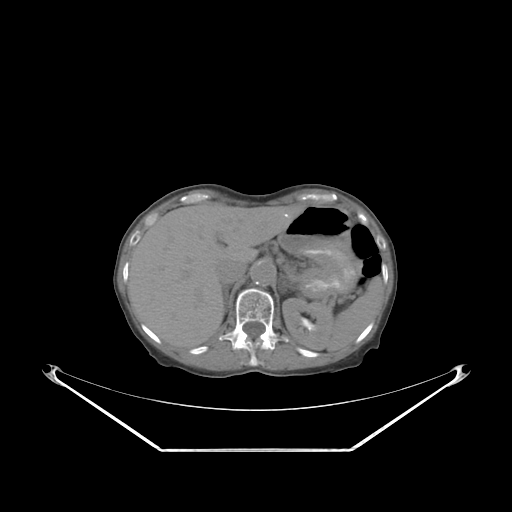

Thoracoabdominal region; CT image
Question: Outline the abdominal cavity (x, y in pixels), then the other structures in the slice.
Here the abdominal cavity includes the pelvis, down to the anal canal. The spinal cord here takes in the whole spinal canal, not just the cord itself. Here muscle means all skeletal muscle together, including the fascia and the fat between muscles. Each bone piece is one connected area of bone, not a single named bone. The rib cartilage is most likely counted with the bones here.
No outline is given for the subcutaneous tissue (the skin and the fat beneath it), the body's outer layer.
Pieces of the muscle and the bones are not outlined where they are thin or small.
Answer: Outlined structures:
abdominal cavity: 210,198 239,205 335,202 354,212 375,235 382,259 383,291 372,320 351,343 336,351 320,354 297,345 275,309 274,265 259,259 239,288 234,311 219,335 190,348 162,341 140,321 129,301 130,254 159,214
muscle 1: 203,188 217,190 237,199 257,202 263,202 275,199 291,192 305,188 319,188 333,191 329,193 317,193 316,192 301,193 298,194 296,199 291,202 276,204 266,203 239,204 233,202 222,201 211,197 210,194 205,192 193,192 182,195 179,198 179,201 181,203 172,206 160,213 154,211 148,214 143,221 143,225 145,228 141,233 139,229 135,229 131,233 128,244 131,247 133,247 129,254 128,260 126,260 123,264 121,274 123,282 126,283 125,292 128,301 138,317 140,322 140,327 142,330 152,340 158,344 165,342 166,344 175,348 188,349 188,352 193,355 199,355 206,352 209,348 206,344 217,337 219,341 227,340 230,342 231,348 233,350 244,349 249,353 248,364 250,366 244,366 240,369 222,371 206,370 183,364 165,355 149,343 139,332 133,322 129,311 118,289 117,272 122,249 127,237 141,218 161,203 178,194
muscle 2: 335,192 357,203 372,217 386,239 389,247 393,269 393,284 390,296 378,327 370,340 346,357 333,363 322,366 293,370 271,370 257,366 259,364 256,355 257,348 262,350 273,350 279,341 287,343 291,341 297,346 295,347 295,349 298,353 304,357 315,358 320,355 341,350 354,341 356,344 359,343 371,331 374,326 373,319 376,315 376,312 378,310 382,299 384,284 385,285 388,282 388,267 383,261 381,253 381,250 384,250 386,248 387,243 380,234 376,235 374,233 369,225 368,218 362,211 358,210 356,213 344,205 336,202 338,200 338,196
muscle 3: 232,312 233,313 234,312 234,320 235,321 235,323 234,324 234,327 231,330 230,330 229,331 226,331 224,333 219,334 222,330 222,328 225,325 226,322 228,320 228,319 229,318 230,315 232,313
muscle 4: 275,310 276,311 276,312 277,313 277,315 278,316 278,320 279,321 279,322 280,323 283,330 285,332 286,335 285,335 284,334 279,334 277,332 276,332 273,328 273,321 274,320 274,317 275,316
torso: 204,182 251,194 300,183 322,183 343,189 367,204 393,241 398,268 397,292 378,348 369,350 357,367 314,376 276,377 250,372 214,379 158,364 130,330 114,293 112,272 116,252 126,228 153,201 176,188
mediastinum: 259,260 267,260 271,262 273,265 273,267 274,268 274,276 273,277 273,291 274,292 274,298 273,298 272,295 268,291 255,286 246,287 242,289 239,292 240,288 247,281 250,275 250,271 251,269 257,261
spinal cord: 248,322 259,322 260,323 261,323 264,326 264,331 263,332 262,332 258,336 258,337 257,337 255,339 251,339 250,338 249,338 248,337 248,335 243,330 243,326 246,323 247,323
bones 1: 252,287 271,295 274,302 272,328 279,335 287,336 289,339 287,342 279,340 273,349 257,347 255,349 258,362 256,366 249,364 250,353 246,349 233,349 229,340 218,339 220,335 235,327 235,302 238,294; inner edge: 248,322 259,322 260,323 261,323 264,326 264,331 263,332 262,332 258,336 258,337 257,337 255,339 251,339 250,338 249,338 248,337 248,335 243,330 243,326 246,323 247,323
bones 2: 333,192 334,192 336,194 337,196 337,200 333,201 332,202 324,202 323,201 318,201 317,200 312,200 311,199 307,199 306,200 300,200 299,199 297,199 298,195 300,195 301,194 306,194 307,193 329,194
bones 3: 193,193 205,193 206,194 208,194 210,195 210,197 209,198 206,198 205,199 201,199 200,200 198,200 194,202 189,202 188,203 182,203 180,201 180,198 182,196 184,195 189,195
bones 4: 298,346 302,348 304,348 305,349 307,349 308,350 313,351 314,352 318,352 319,353 319,355 315,357 308,357 307,356 304,356 302,354 301,354 297,351 296,349 296,347
bones 5: 141,323 143,323 146,326 147,326 147,327 148,328 149,328 161,340 161,343 158,343 157,342 156,342 153,339 152,339 143,330 143,329 141,327
bones 6: 372,321 373,321 373,326 371,328 371,329 370,330 370,331 359,342 358,342 357,343 356,343 355,342 355,340 356,339 356,338 361,333 361,332 368,325 368,324 370,322 371,322
bones 7: 135,230 139,230 140,231 140,237 139,238 139,239 138,240 138,241 135,244 135,245 134,245 133,246 131,246 129,244 129,241 130,240 130,237 131,236 131,235 132,234 132,233
bones 8: 154,212 156,212 157,213 158,213 158,215 157,216 157,217 156,218 156,219 150,225 149,225 147,227 145,227 145,226 144,225 144,221 145,220 145,219 146,218 146,217 148,215 149,215 150,214 151,214
bones 9: 377,235 380,235 384,239 384,240 385,241 385,242 386,243 386,246 385,247 385,248 384,249 380,249 378,247 378,246 377,245 377,244 376,243 376,236
bones 10: 383,262 386,265 386,266 387,267 387,282 385,284 384,283 384,282 383,281 383,277 382,276 382,270 381,269 382,268 382,263
bones 11: 358,211 360,211 361,212 362,212 364,214 364,215 367,218 367,220 368,221 368,225 366,225 365,224 364,224 363,223 362,223 360,221 360,220 358,218 358,217 357,216 357,212
bones 12: 126,261 128,261 128,269 127,270 127,281 126,282 124,282 124,281 123,280 123,275 122,274 122,272 123,271 123,267 124,266 124,264 125,263 125,262